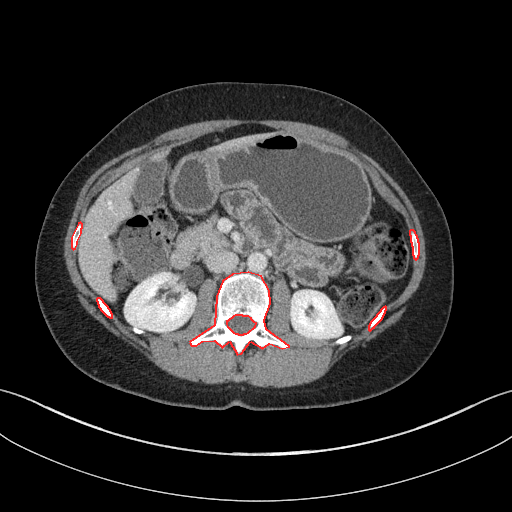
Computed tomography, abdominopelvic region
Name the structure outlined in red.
red: bones.
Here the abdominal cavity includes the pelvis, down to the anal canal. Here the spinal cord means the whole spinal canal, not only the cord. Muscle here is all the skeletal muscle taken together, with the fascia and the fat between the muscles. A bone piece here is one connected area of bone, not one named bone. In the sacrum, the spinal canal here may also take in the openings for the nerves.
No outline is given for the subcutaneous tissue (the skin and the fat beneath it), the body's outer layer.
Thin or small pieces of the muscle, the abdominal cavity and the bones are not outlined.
Outlined structures:
bones 1: 237 354; 241 353; 250 341; 262 348; 269 343; 282 348; 289 346; 266 329; 264 320; 270 303; 269 290; 261 276; 248 272; 232 274; 222 281; 216 296; 214 325; 189 342; 191 345; 196 345; 202 341; 214 340; 222 347; 229 341; inner edge: 238 334; 243 334; 244 333; 246 333; 248 332; 255 326; 256 323; 254 322; 251 319; 251 318; 248 316; 243 316; 242 315; 235 315; 233 316; 227 321; 226 321; 226 324; 227 326; 233 332; 235 333; 237 333
bones 2: 415 259; 416 259; 418 257; 418 255; 419 254; 419 243; 418 242; 418 239; 417 238; 417 236; 416 235; 415 232; 413 230; 410 230; 409 231; 409 234; 410 235; 410 241; 411 242; 411 245; 412 246; 412 254; 413 255; 413 257
bones 3: 73 249; 75 248; 77 244; 77 241; 81 233; 81 228; 82 227; 82 224; 80 222; 78 223; 71 237; 71 247
bones 4: 369 330; 370 330; 373 327; 374 327; 374 326; 382 318; 382 317; 383 316; 383 315; 385 312; 385 310; 386 309; 386 307; 385 306; 384 307; 383 307; 380 310; 380 311; 376 315; 376 316; 370 322; 370 323; 368 326; 368 329
bones 5: 109 317; 112 317; 112 314; 111 313; 111 312; 110 311; 110 310; 108 308; 108 307; 103 302; 103 301; 100 298; 97 298; 96 299; 96 300; 97 301; 97 303; 98 304; 98 306; 100 308; 100 309; 107 316; 108 316
spinal cord: 238 334; 243 334; 244 333; 246 333; 248 332; 255 326; 256 323; 254 322; 251 319; 251 318; 248 316; 243 316; 242 315; 235 315; 233 316; 227 321; 226 321; 226 324; 227 326; 233 332; 235 333; 237 333
torso: 262 411; 353 403; 411 378; 436 349; 449 320; 454 290; 450 230; 439 201; 400 145; 374 117; 352 102; 295 84; 215 81; 188 85; 162 93; 126 115; 60 182; 36 244; 37 300; 62 353; 104 385; 165 405; 204 410; 236 405
muscle: 277 388; 300 385; 311 382; 321 377; 349 350; 359 346; 364 346; 368 341; 394 324; 405 311; 407 307; 407 302; 413 296; 413 294; 419 287; 420 282; 423 277; 426 263; 426 252; 424 235; 417 212; 401 187; 375 160; 352 145; 347 139; 341 135; 323 127; 291 120; 277 120; 276 119; 258 120; 257 119; 227 118; 195 122; 173 128; 161 133; 146 143; 127 150; 104 163; 86 180; 81 188; 75 201; 63 244; 63 257; 69 275; 69 279; 76 289; 77 292; 76 296; 79 302; 87 313; 114 335; 136 349; 149 361; 168 374; 175 377; 204 384; 218 384; 226 382; 237 383; 246 382; 248 384; 259 387; 272 386, around a hole outlined by 237 354; 250 341; 289 346; 264 324; 276 279; 290 290; 294 332; 344 344; 382 318; 419 254; 415 232; 353 156; 259 124; 155 151; 92 199; 71 237; 100 309; 138 334; 185 327; 199 286; 214 279; 215 323; 189 342; 229 341
abdominal cavity: 328 341; 365 327; 402 291; 412 268; 404 218; 347 152; 293 132; 242 124; 155 151; 88 205; 76 247; 78 270; 125 324; 153 335; 182 329; 204 279; 214 279; 218 289; 227 276; 248 271; 261 275; 269 289; 284 279; 290 328